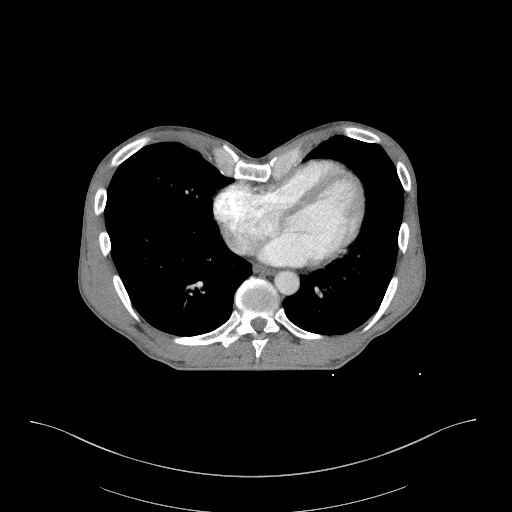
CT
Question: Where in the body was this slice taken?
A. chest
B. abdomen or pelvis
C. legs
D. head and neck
Answer: A. chest
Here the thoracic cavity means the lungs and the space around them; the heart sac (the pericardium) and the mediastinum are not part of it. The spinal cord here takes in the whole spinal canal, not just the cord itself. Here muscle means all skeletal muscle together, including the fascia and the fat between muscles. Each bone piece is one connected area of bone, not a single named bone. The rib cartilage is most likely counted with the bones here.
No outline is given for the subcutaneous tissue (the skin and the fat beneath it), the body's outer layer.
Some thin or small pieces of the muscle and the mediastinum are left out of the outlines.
{"muscle":[[[366,129],[388,138],[409,166],[414,191],[417,242],[422,260],[422,280],[411,304],[356,350],[324,365],[182,365],[150,351],[88,300],[81,281],[87,206],[98,171],[114,153],[109,166],[116,168],[107,187],[97,188],[93,212],[104,215],[105,228],[98,233],[98,244],[104,257],[111,255],[117,271],[111,276],[113,287],[137,322],[141,320],[139,314],[154,327],[175,335],[173,343],[184,346],[216,342],[227,348],[247,335],[257,360],[268,335],[282,328],[297,338],[314,341],[325,335],[347,333],[367,320],[359,331],[366,332],[383,315],[398,287],[399,277],[393,274],[397,254],[407,251],[410,237],[409,225],[403,219],[404,191],[408,193],[409,192],[412,189],[412,181],[411,177],[410,176],[409,171],[405,164],[401,160],[394,163],[379,144],[382,139]],[[157,130],[185,130],[221,141],[223,143],[220,145],[214,146],[211,149],[211,157],[209,157],[199,150],[188,145],[186,145],[179,141],[161,141],[155,143],[150,143],[151,137],[148,135],[144,135],[138,138],[136,138],[145,133],[151,131],[156,131]],[[340,124],[352,124],[362,127],[353,125],[343,125],[341,127],[341,131],[343,135],[333,135],[327,139],[321,141],[307,151],[303,150],[302,144],[300,142],[285,151],[277,155],[274,155],[266,161],[276,151],[288,145],[300,137],[312,132]]],"spinal_cord":[[[258,317],[260,317],[261,318],[262,318],[263,319],[264,319],[265,320],[265,321],[266,322],[265,323],[265,325],[263,327],[263,328],[260,331],[257,331],[252,326],[252,325],[251,324],[251,321],[253,319],[254,319],[255,318],[257,318]]],"mediastinum":[[[359,235],[355,244],[350,249],[349,253],[335,264],[328,267],[324,271],[322,270],[317,270],[316,271],[315,271],[313,273],[302,275],[300,277],[299,289],[292,295],[287,296],[281,303],[279,294],[271,282],[265,278],[250,275],[252,273],[251,264],[298,273],[304,273],[305,272],[311,272],[315,270],[319,270],[343,256],[352,244],[353,244],[356,241]]],"pericardium":[[[312,159],[331,159],[343,163],[354,172],[364,188],[366,201],[363,223],[359,234],[347,251],[324,267],[304,272],[288,271],[250,263],[232,251],[222,237],[213,217],[212,198],[214,195],[220,189],[238,180],[261,183],[277,180],[298,162]]],"thoracic_cavity":[[[161,142],[179,142],[193,148],[211,158],[222,175],[233,178],[231,183],[214,190],[212,217],[227,247],[251,266],[251,273],[233,294],[233,307],[228,318],[211,330],[192,335],[162,330],[134,307],[114,263],[106,229],[107,188],[116,169],[145,146]],[[333,136],[378,144],[385,151],[395,166],[403,190],[403,209],[393,273],[376,310],[347,332],[322,334],[295,324],[287,316],[282,302],[300,289],[302,276],[324,272],[349,254],[363,228],[367,200],[363,183],[355,172],[335,159],[304,158],[311,149]]],"torso":[[[340,119],[382,130],[395,139],[408,155],[417,181],[418,212],[426,260],[426,281],[418,303],[357,356],[333,371],[178,371],[145,355],[86,306],[77,287],[84,199],[96,166],[120,142],[155,125],[177,124],[219,136],[248,155],[258,157],[306,129]]],"bones":[{"outer":[[250,276],[265,279],[272,284],[290,321],[304,330],[324,335],[324,338],[300,338],[282,327],[280,331],[267,335],[268,340],[257,359],[252,337],[247,334],[227,347],[216,341],[206,345],[173,342],[174,336],[197,335],[223,324],[233,310],[237,288]],"hole":[[258,317],[260,317],[261,318],[262,318],[263,319],[264,319],[265,320],[265,321],[266,322],[265,323],[265,325],[263,327],[263,328],[260,331],[257,331],[252,326],[252,325],[251,324],[251,321],[253,319],[254,319],[255,318],[257,318]]},[[224,143],[229,146],[248,163],[259,164],[267,162],[274,156],[277,156],[300,143],[301,148],[305,152],[305,154],[301,160],[292,165],[281,177],[277,179],[271,178],[264,182],[248,179],[239,178],[238,179],[222,174],[216,167],[212,159],[212,149]],[[393,275],[397,275],[398,277],[398,282],[397,283],[397,287],[396,288],[396,290],[388,306],[386,308],[382,315],[366,331],[364,332],[360,332],[360,331],[366,325],[366,324],[368,322],[368,320],[377,310],[384,296],[384,294],[389,284],[389,282]],[[144,136],[148,136],[150,137],[150,141],[148,144],[145,145],[143,147],[142,147],[140,149],[133,153],[129,157],[128,157],[125,160],[124,160],[117,167],[110,166],[110,162],[111,161],[111,159],[117,151],[118,151],[126,144],[136,139],[138,139]],[[343,126],[353,126],[354,127],[358,127],[359,128],[362,128],[363,129],[368,130],[376,134],[381,139],[381,141],[380,143],[374,143],[373,142],[367,142],[366,141],[363,141],[362,140],[348,137],[343,134],[343,132],[342,131],[342,127]],[[115,273],[117,273],[120,277],[122,281],[122,283],[129,296],[131,303],[134,309],[138,313],[138,315],[140,319],[139,321],[137,321],[131,315],[131,314],[125,307],[122,301],[120,299],[114,287],[113,280],[112,279],[112,276],[113,274]],[[397,161],[401,161],[404,164],[405,167],[408,171],[408,173],[410,177],[410,180],[411,181],[411,189],[408,192],[405,191],[403,189],[402,184],[399,179],[399,177],[397,173],[397,170],[396,169],[396,166],[395,165],[395,163]],[[101,186],[106,188],[106,192],[107,193],[107,196],[106,197],[106,202],[105,203],[105,206],[104,207],[104,210],[103,211],[103,212],[98,215],[96,215],[94,212],[94,200],[95,199],[95,194],[96,193],[98,188]],[[403,220],[407,223],[407,224],[408,225],[408,228],[409,229],[409,237],[408,238],[407,247],[406,248],[406,251],[404,253],[402,253],[401,252],[400,252],[399,251],[399,249],[398,248],[398,234],[399,233],[399,228],[400,227],[401,222]],[[105,229],[108,233],[108,235],[109,236],[109,239],[110,240],[110,244],[111,245],[111,248],[110,249],[110,253],[106,256],[104,256],[103,255],[103,254],[101,251],[101,249],[100,248],[100,245],[99,244],[99,233],[102,230],[104,230]]]}